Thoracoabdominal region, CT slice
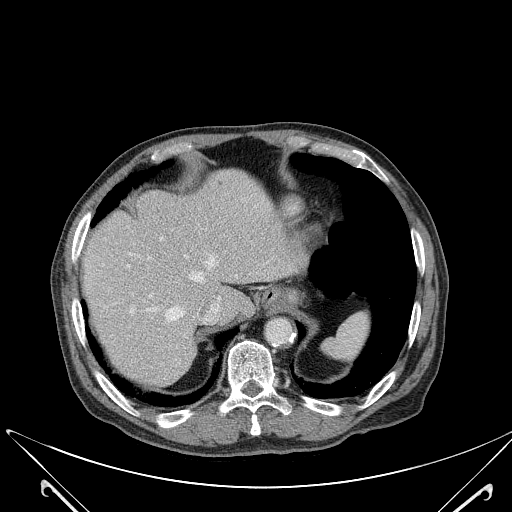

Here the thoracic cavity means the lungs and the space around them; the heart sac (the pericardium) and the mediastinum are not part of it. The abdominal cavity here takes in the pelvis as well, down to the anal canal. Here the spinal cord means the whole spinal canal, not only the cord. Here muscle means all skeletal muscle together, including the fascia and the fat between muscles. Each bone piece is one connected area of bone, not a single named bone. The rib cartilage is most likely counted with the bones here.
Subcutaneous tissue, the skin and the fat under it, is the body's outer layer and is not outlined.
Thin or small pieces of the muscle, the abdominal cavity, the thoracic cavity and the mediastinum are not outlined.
The spinal cord is outlined by [[249,381],[254,381],[255,382],[256,382],[258,384],[258,385],[260,387],[260,388],[261,389],[260,390],[260,391],[254,396],[250,396],[249,395],[246,394],[244,392],[243,392],[243,391],[242,390],[242,389],[243,388],[245,383],[246,383]]. The bones appear in 11 outlined pieces: piece 1: [[243,339],[267,347],[281,380],[290,380],[289,388],[279,392],[291,402],[291,412],[285,415],[270,405],[260,406],[256,415],[261,431],[256,436],[250,433],[251,412],[246,407],[235,407],[223,416],[217,413],[229,393],[226,378],[221,375],[224,352]] with a hole at [[249,381],[254,381],[255,382],[256,382],[258,384],[258,385],[260,387],[260,388],[261,389],[260,390],[260,391],[254,396],[250,396],[249,395],[246,394],[244,392],[243,392],[243,391],[242,390],[242,389],[243,388],[245,383],[246,383]]; piece 2: [[294,135],[306,137],[311,141],[329,143],[348,149],[356,148],[363,151],[377,164],[386,175],[389,179],[389,183],[387,185],[370,171],[363,168],[353,166],[337,157],[312,153],[309,151],[309,148],[307,146],[294,149],[286,143],[286,139],[289,136]]; piece 3: [[94,368],[99,370],[104,375],[105,375],[113,384],[113,385],[125,397],[125,398],[140,411],[141,413],[141,416],[140,417],[135,416],[129,413],[120,406],[119,406],[110,398],[110,397],[102,389],[96,380],[92,372],[92,369]]; piece 4: [[88,210],[90,210],[92,212],[93,215],[91,218],[91,220],[89,224],[89,228],[86,234],[79,258],[77,260],[76,263],[73,263],[71,260],[71,248],[72,247],[72,242],[73,241],[74,232],[78,224],[79,220]]; piece 5: [[393,369],[396,369],[397,370],[397,375],[394,381],[389,387],[389,388],[373,403],[361,410],[358,410],[356,408],[356,407],[357,405],[361,404],[364,401],[364,396],[367,394],[367,393],[372,388],[373,386],[374,386],[387,373],[388,373]]; piece 6: [[188,407],[192,409],[195,413],[185,421],[175,426],[173,426],[172,427],[168,427],[167,428],[160,427],[158,425],[157,425],[152,419],[153,416],[156,413],[158,413],[159,412],[169,412],[170,411],[179,410],[180,409],[183,409],[184,408],[187,408]]; piece 7: [[300,394],[303,394],[309,397],[315,399],[318,399],[319,400],[324,400],[332,403],[341,404],[343,405],[343,411],[342,413],[339,415],[331,416],[330,415],[326,415],[311,410],[307,407],[305,407],[302,405],[302,400],[299,397]]; piece 8: [[181,141],[185,141],[186,142],[191,142],[194,147],[194,149],[195,151],[178,153],[175,155],[172,155],[166,158],[159,163],[153,163],[150,160],[150,155],[155,150],[157,149],[159,150],[161,150],[163,149],[166,146],[168,146],[176,142],[180,142]]; piece 9: [[74,296],[77,297],[80,300],[82,314],[83,315],[84,322],[85,323],[85,333],[87,338],[87,344],[86,345],[86,348],[85,348],[82,345],[79,340],[79,338],[75,330],[75,327],[74,326],[74,324],[72,320],[72,317],[71,316],[71,300]]; piece 10: [[411,226],[414,227],[419,232],[423,243],[423,249],[424,250],[424,256],[425,257],[425,266],[424,267],[424,272],[422,276],[418,273],[417,268],[416,267],[416,264],[415,263],[414,252],[413,251],[412,240],[411,239],[411,234],[410,233],[410,227]]; piece 11: [[415,299],[419,300],[420,302],[421,305],[421,313],[420,314],[419,323],[417,327],[417,331],[414,340],[410,348],[408,348],[406,342],[407,339],[407,332],[408,331],[408,327],[410,322],[412,308]]. The torso is outlined by [[275,121],[327,125],[369,142],[395,164],[427,206],[445,256],[449,292],[443,353],[423,407],[418,414],[399,423],[352,435],[329,448],[304,452],[205,457],[182,454],[134,439],[89,413],[68,379],[49,281],[65,220],[103,169],[141,141],[185,127]]. The mediastinum appears in 2 outlined pieces: piece 1: [[272,309],[279,309],[286,312],[296,322],[295,323],[299,341],[297,342],[295,351],[293,352],[291,362],[287,367],[276,366],[273,361],[270,349],[255,339],[243,338],[231,343],[223,353],[222,351],[225,343],[238,333],[239,328],[242,325],[252,317]]; piece 2: [[289,161],[296,170],[302,173],[312,174],[316,176],[323,176],[331,181],[337,182],[341,193],[341,212],[343,217],[342,220],[334,222],[335,220],[334,210],[330,207],[326,200],[317,193],[310,193],[303,190],[298,185],[294,179],[293,175],[290,172]]. The thoracic cavity appears in 4 outlined pieces: piece 1: [[296,152],[370,172],[394,195],[409,226],[416,283],[406,339],[366,394],[339,403],[304,394],[279,372],[292,363],[304,382],[345,377],[373,321],[365,295],[353,289],[330,295],[310,278],[313,254],[344,219],[342,193],[337,181],[296,169],[290,161]]; piece 2: [[81,299],[85,302],[87,309],[87,324],[101,350],[107,367],[113,374],[129,382],[140,394],[159,393],[181,396],[201,388],[210,378],[221,353],[223,354],[221,371],[215,384],[200,399],[183,408],[169,411],[157,411],[128,398],[109,379],[90,348]]; piece 3: [[166,159],[172,159],[173,160],[173,163],[171,165],[161,169],[152,177],[150,177],[132,187],[115,207],[106,213],[93,227],[90,227],[92,218],[98,206],[105,196],[118,183],[124,180],[130,173],[137,170],[146,169],[153,165],[158,165]]; piece 4: [[233,328],[238,328],[238,331],[237,333],[233,337],[232,337],[230,339],[228,339],[224,343],[223,345],[223,347],[222,348],[222,350],[220,351],[220,350],[218,349],[215,345],[215,339],[216,337],[218,335],[224,332],[227,332],[231,330]]. The muscle appears in 2 outlined pieces: piece 1: [[279,129],[302,130],[340,140],[356,147],[348,148],[329,142],[311,140],[306,136],[296,134],[289,135],[285,139],[285,143],[293,149],[270,144],[252,136],[237,137],[200,149],[195,149],[191,141],[176,141],[161,149],[155,149],[149,155],[149,160],[152,163],[130,172],[118,182],[104,196],[94,213],[88,209],[80,217],[74,229],[70,260],[73,264],[76,264],[79,260],[79,298],[75,295],[71,298],[70,316],[79,342],[85,349],[88,344],[105,374],[95,367],[91,369],[91,372],[98,385],[109,398],[123,410],[138,418],[142,416],[141,411],[126,397],[133,402],[155,410],[158,412],[151,419],[160,428],[167,429],[175,427],[192,417],[196,413],[195,411],[188,406],[186,407],[204,397],[214,387],[218,378],[223,376],[228,393],[217,405],[216,413],[223,417],[238,407],[246,408],[250,412],[249,433],[253,436],[233,443],[202,446],[167,439],[107,408],[84,388],[76,374],[64,327],[60,290],[63,267],[62,255],[69,229],[83,204],[92,193],[136,154],[151,145],[187,134],[244,133]]; piece 2: [[378,164],[386,169],[401,185],[425,225],[433,246],[439,284],[439,309],[436,343],[431,361],[420,380],[407,394],[384,405],[336,436],[323,440],[297,440],[278,437],[274,434],[257,436],[262,431],[257,415],[260,407],[270,406],[285,416],[292,412],[292,402],[280,392],[280,390],[288,390],[291,384],[302,393],[298,397],[303,407],[326,416],[341,415],[344,411],[344,405],[340,403],[358,397],[363,397],[363,401],[355,408],[358,411],[367,408],[380,398],[395,381],[398,370],[391,369],[405,342],[408,349],[413,345],[422,313],[421,302],[415,298],[415,293],[417,272],[421,277],[425,272],[424,243],[420,232],[414,226],[409,225],[400,203],[388,187],[390,179]]. The abdominal cavity is outlined by [[242,137],[298,151],[288,169],[301,189],[284,190],[280,209],[308,247],[328,230],[309,278],[330,296],[365,296],[369,336],[345,376],[304,381],[292,359],[305,328],[272,308],[215,337],[222,352],[201,387],[140,393],[88,324],[87,234],[168,158]]. The pericardium is outlined by [[290,190],[302,190],[310,194],[317,194],[323,198],[329,207],[333,210],[334,214],[333,223],[328,228],[325,235],[320,240],[309,246],[306,245],[301,239],[299,234],[289,223],[284,212],[281,209],[281,205],[279,200],[280,196],[284,191],[289,191]].